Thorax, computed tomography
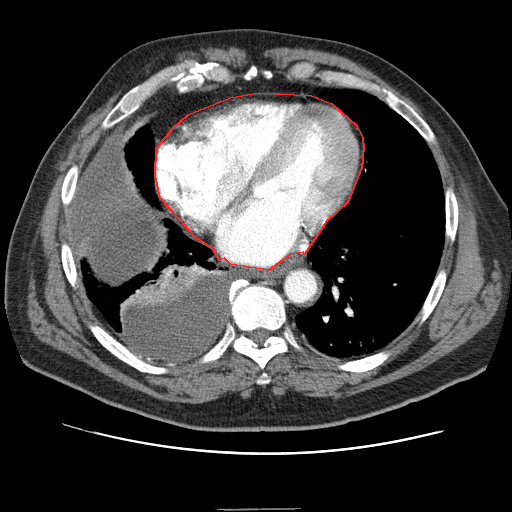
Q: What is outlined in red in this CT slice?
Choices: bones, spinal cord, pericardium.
A: red: pericardium.
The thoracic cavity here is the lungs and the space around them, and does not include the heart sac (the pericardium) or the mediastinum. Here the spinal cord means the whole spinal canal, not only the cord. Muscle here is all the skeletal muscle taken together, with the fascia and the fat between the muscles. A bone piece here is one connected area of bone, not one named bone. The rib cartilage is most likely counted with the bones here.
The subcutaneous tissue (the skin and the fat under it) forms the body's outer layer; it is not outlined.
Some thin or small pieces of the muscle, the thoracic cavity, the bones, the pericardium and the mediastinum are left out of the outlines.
Outlined structures:
pericardium: (259, 92) (311, 95) (331, 103) (356, 125) (362, 137) (363, 147) (361, 167) (347, 202) (326, 221) (304, 254) (303, 252) (290, 254) (268, 270) (230, 264) (224, 258) (219, 260) (212, 248) (196, 238) (160, 198) (155, 175) (156, 148) (173, 127) (188, 114) (230, 97)
thoracic cavity 1: (344, 88) (359, 89) (376, 96) (423, 138) (439, 171) (445, 214) (444, 243) (439, 264) (418, 313) (405, 330) (382, 349) (354, 359) (319, 352) (303, 342) (290, 323) (321, 296) (323, 282) (306, 251) (327, 221) (348, 202) (366, 162) (359, 127) (331, 102) (335, 93)
thoracic cavity 2: (133, 121) (148, 121) (153, 134) (155, 190) (165, 212) (179, 230) (209, 248) (233, 277) (227, 293) (230, 319) (225, 322) (217, 341) (199, 357) (189, 361) (148, 361) (102, 327) (79, 278) (73, 252) (66, 243) (66, 207) (75, 195) (85, 162) (100, 140) (117, 123)
mediastinum 1: (276, 75) (290, 81) (343, 87) (334, 93) (330, 102) (315, 95) (288, 91) (240, 93) (188, 113) (155, 149) (155, 138) (148, 120) (122, 121) (168, 85) (173, 84) (176, 91) (183, 94) (201, 89) (208, 82) (228, 84) (235, 79) (250, 81) (260, 76) (270, 80)
mediastinum 2: (306, 252) (307, 259) (321, 279) (323, 289) (315, 303) (297, 314) (293, 322) (288, 319) (286, 302) (275, 289) (251, 282) (245, 278) (234, 279) (220, 261) (220, 259) (224, 259) (230, 265) (250, 270) (268, 271) (278, 266) (290, 255) (300, 255) (301, 253) (304, 255)
mediastinum 3: (160, 199) (163, 200) (165, 202) (171, 211) (174, 214) (175, 214) (175, 215) (177, 216) (178, 218) (179, 218) (179, 219) (183, 223) (183, 224) (191, 233) (191, 234) (199, 241) (192, 239) (176, 226) (174, 222) (166, 212) (164, 207) (162, 205) (162, 202)
spinal cord: (257, 328) (263, 328) (264, 329) (266, 329) (267, 330) (268, 330) (271, 332) (271, 334) (264, 341) (264, 342) (262, 344) (262, 345) (261, 346) (260, 346) (257, 343) (256, 343) (253, 340) (252, 340) (248, 336) (248, 334) (251, 331) (252, 331) (253, 330) (254, 330)
bones 1: (237, 279) (271, 288) (281, 296) (287, 319) (303, 346) (303, 351) (297, 351) (290, 345) (288, 351) (268, 360) (264, 367) (270, 377) (267, 384) (256, 383) (262, 371) (258, 364) (231, 345) (213, 361) (195, 362) (218, 341) (226, 322) (231, 319) (228, 293) (232, 281); inner edge: (257, 328) (263, 328) (264, 329) (266, 329) (267, 330) (268, 330) (271, 332) (271, 334) (264, 341) (264, 342) (262, 344) (262, 345) (261, 346) (260, 346) (257, 343) (256, 343) (253, 340) (252, 340) (248, 336) (248, 334) (251, 331) (252, 331) (253, 330) (254, 330)
bones 2: (186, 59) (194, 59) (201, 63) (209, 61) (220, 63) (228, 68) (233, 75) (234, 79) (231, 82) (206, 81) (201, 88) (183, 93) (179, 93) (174, 84) (170, 83) (159, 88) (139, 108) (111, 128) (106, 130) (99, 129) (106, 115) (128, 90) (160, 70) (175, 66)
bones 3: (302, 61) (313, 64) (318, 70) (333, 70) (350, 73) (390, 90) (409, 104) (428, 124) (435, 135) (436, 143) (429, 146) (419, 132) (407, 120) (370, 92) (353, 87) (326, 85) (314, 77) (310, 77) (306, 80) (290, 80) (286, 78) (285, 75) (289, 68) (293, 64)
bones 4: (89, 323) (94, 323) (99, 325) (116, 340) (125, 346) (132, 353) (137, 356) (139, 356) (146, 361) (149, 360) (147, 361) (153, 365) (167, 368) (168, 369) (168, 372) (163, 374) (152, 374) (146, 372) (141, 372) (122, 361) (106, 349) (96, 339) (88, 327) (88, 324)
bones 5: (441, 268) (443, 268) (446, 272) (446, 280) (445, 281) (445, 285) (440, 295) (440, 297) (432, 312) (423, 323) (419, 324) (417, 321) (414, 321) (414, 320) (416, 316) (419, 313) (429, 293) (429, 291) (432, 286) (432, 284) (434, 281) (434, 279) (438, 270)
bones 6: (384, 349) (386, 350) (390, 350) (391, 351) (391, 354) (381, 364) (376, 366) (374, 368) (372, 368) (362, 372) (351, 372) (350, 371) (341, 370) (337, 368) (338, 362) (343, 362) (346, 360) (354, 360) (355, 359) (359, 359) (360, 358) (365, 357) (368, 355) (376, 353)
bones 7: (449, 186) (451, 186) (453, 188) (453, 190) (454, 191) (454, 193) (457, 200) (457, 206) (458, 207) (457, 229) (456, 230) (455, 239) (452, 243) (449, 241) (448, 242) (445, 242) (445, 225) (446, 224) (446, 214) (445, 213) (445, 194) (444, 193) (444, 191) (446, 188)
bones 8: (74, 163) (78, 165) (78, 177) (77, 178) (77, 181) (76, 182) (75, 192) (71, 200) (71, 202) (69, 204) (68, 204) (67, 206) (65, 207) (62, 203) (62, 200) (61, 199) (61, 187) (62, 186) (62, 183) (63, 182) (64, 177) (68, 169) (71, 166) (71, 165)
bones 9: (63, 241) (64, 241) (70, 248) (72, 252) (72, 255) (73, 256) (73, 259) (74, 260) (74, 263) (75, 264) (75, 267) (78, 276) (76, 288) (73, 288) (71, 286) (65, 275) (63, 269) (63, 266) (61, 261) (61, 252) (60, 251) (61, 244)
bones 10: (252, 64) (255, 64) (256, 65) (256, 66) (258, 69) (258, 74) (257, 75) (257, 76) (256, 77) (255, 77) (254, 78) (253, 78) (250, 80) (245, 80) (244, 79) (243, 79) (243, 75) (244, 74) (244, 73) (248, 69) (248, 68)
torso: (228, 28) (268, 29) (333, 39) (366, 49) (413, 78) (462, 129) (505, 202) (511, 238) (505, 313) (494, 349) (481, 373) (421, 401) (340, 426) (287, 432) (206, 432) (112, 407) (25, 365) (6, 313) (5, 263) (13, 226) (45, 151) (102, 74) (122, 54) (161, 37)
muscle 1: (155, 72) (109, 110) (98, 129) (110, 129) (79, 176) (79, 165) (72, 163) (60, 187) (62, 269) (73, 289) (80, 280) (100, 324) (87, 327) (116, 358) (141, 373) (163, 375) (169, 369) (150, 362) (206, 364) (231, 346) (257, 364) (261, 371) (255, 383) (267, 385) (269, 360) (290, 346) (303, 352) (299, 339) (319, 353) (345, 359) (337, 362) (341, 371) (362, 373) (381, 365) (392, 354) (384, 348) (433, 312) (447, 280) (446, 270) (438, 269) (444, 244) (456, 239) (458, 200) (451, 185) (444, 190) (430, 148) (437, 143) (432, 128) (474, 196) (496, 249) (503, 295) (494, 316) (422, 369) (337, 399) (285, 400) (257, 386) (246, 399) (166, 401) (40, 341) (26, 314) (25, 278) (48, 193) (88, 116) (119, 90)
muscle 2: (231, 46) (243, 49) (250, 58) (255, 59) (259, 59) (265, 50) (276, 47) (321, 50) (346, 57) (410, 98) (420, 108) (426, 121) (409, 103) (390, 89) (350, 72) (318, 69) (309, 61) (293, 63) (284, 75) (274, 75) (271, 69) (263, 68) (259, 76) (257, 65) (252, 63) (242, 78) (235, 78) (228, 67) (213, 60) (201, 62) (186, 58) (175, 65) (164, 67) (173, 64) (178, 54) (183, 51) (198, 52) (201, 48) (208, 47) (227, 49)